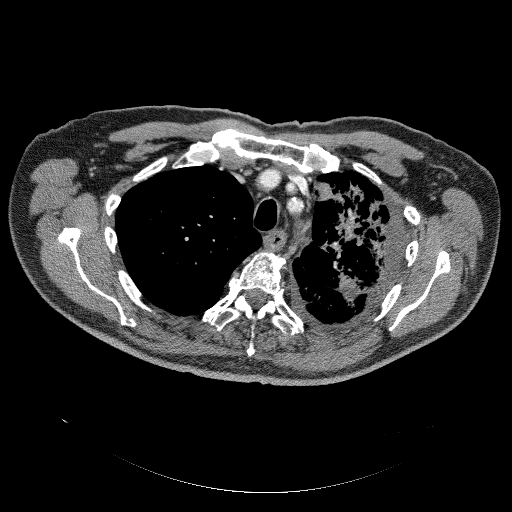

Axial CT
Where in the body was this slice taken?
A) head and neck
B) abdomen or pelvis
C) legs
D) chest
Answer: D) chest
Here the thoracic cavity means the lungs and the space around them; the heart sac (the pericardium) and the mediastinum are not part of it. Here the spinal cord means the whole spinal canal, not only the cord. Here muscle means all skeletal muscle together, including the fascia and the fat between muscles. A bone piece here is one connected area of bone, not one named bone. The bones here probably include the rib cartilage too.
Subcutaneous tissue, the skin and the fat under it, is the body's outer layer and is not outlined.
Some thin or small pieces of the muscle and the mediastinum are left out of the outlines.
bones 1: [[259,250],[273,252],[285,259],[286,269],[281,271],[284,297],[303,321],[304,332],[291,336],[284,334],[267,315],[256,325],[255,351],[249,357],[246,349],[250,327],[243,315],[219,331],[200,319],[205,310],[227,293],[233,271],[239,270],[243,261]] with a hole at [[252,289],[260,289],[264,293],[265,293],[267,295],[267,298],[266,299],[264,304],[263,305],[262,305],[258,309],[257,309],[255,311],[252,308],[252,307],[248,303],[248,302],[246,299],[246,294],[247,293],[247,291],[248,291],[249,290],[251,290]]
bones 2: [[228,128],[247,134],[281,139],[298,145],[316,143],[337,156],[342,169],[341,171],[327,173],[321,173],[317,170],[305,172],[293,164],[286,164],[264,157],[240,158],[231,151],[222,159],[210,163],[176,169],[169,168],[192,143],[209,141],[215,132]]
bones 3: [[64,227],[77,227],[80,229],[76,249],[80,265],[85,275],[94,286],[106,294],[114,297],[119,302],[125,315],[135,320],[137,324],[134,327],[120,324],[117,307],[110,300],[90,289],[81,278],[77,270],[72,251],[66,244],[59,242],[57,239]]
bones 4: [[441,249],[445,250],[449,254],[449,259],[450,260],[449,271],[446,273],[441,273],[438,275],[434,279],[426,297],[414,309],[408,312],[391,331],[389,331],[388,328],[395,320],[399,311],[403,307],[414,302],[423,293],[435,270],[437,255],[438,252]]
bones 5: [[119,268],[124,269],[127,272],[127,273],[130,276],[131,279],[133,281],[135,285],[141,292],[142,294],[142,299],[155,310],[155,312],[154,313],[141,308],[130,299],[128,295],[125,292],[124,289],[122,287],[118,279],[118,276],[117,275],[117,270]]
bones 6: [[163,155],[166,155],[168,157],[169,157],[167,161],[167,164],[166,165],[166,167],[165,169],[152,175],[147,179],[145,180],[143,180],[138,183],[136,183],[135,182],[133,182],[131,181],[133,176],[142,168],[143,168],[145,166],[149,164],[155,159]]
bones 7: [[400,281],[402,282],[402,288],[400,291],[400,293],[397,299],[393,305],[389,309],[389,310],[384,315],[384,316],[377,321],[374,322],[372,319],[374,316],[377,315],[379,313],[380,311],[380,304],[382,300],[386,294],[390,290],[390,289],[396,283]]
bones 8: [[352,160],[359,161],[365,164],[372,170],[373,170],[379,176],[379,177],[382,180],[383,182],[383,191],[376,185],[372,183],[372,182],[367,177],[361,174],[359,172],[352,169],[351,168],[352,166],[351,165],[351,161]]
bones 9: [[406,202],[408,202],[409,203],[412,204],[414,206],[415,206],[420,214],[420,218],[419,219],[419,222],[417,225],[413,225],[412,224],[411,224],[409,222],[408,222],[404,217],[404,215],[403,214],[403,209],[404,208],[404,206],[405,205]]
bones 10: [[106,225],[109,225],[114,229],[114,230],[115,231],[115,233],[116,234],[116,236],[117,237],[117,246],[116,247],[116,252],[115,253],[112,253],[111,252],[111,251],[109,249],[109,248],[108,247],[108,246],[105,241],[105,239],[104,238],[104,228]]
bones 11: [[110,192],[114,192],[115,193],[117,193],[118,194],[119,194],[121,196],[121,199],[120,200],[120,202],[119,203],[118,206],[116,208],[114,213],[112,215],[109,216],[107,214],[107,213],[106,212],[106,210],[105,209],[105,201],[106,200],[106,199]]
bones 12: [[414,238],[416,238],[418,241],[418,251],[417,252],[417,255],[416,256],[416,257],[415,258],[414,261],[412,263],[412,264],[410,266],[407,266],[407,261],[405,259],[405,251],[406,250],[406,247],[407,246],[408,243],[412,239],[413,239]]
muscle: [[215,118],[238,119],[269,133],[286,131],[319,133],[338,133],[356,130],[377,131],[399,139],[423,151],[425,153],[424,158],[408,161],[406,165],[408,172],[407,179],[405,183],[398,188],[401,192],[412,199],[424,214],[428,216],[441,213],[444,209],[441,202],[442,192],[449,187],[457,187],[472,196],[482,216],[483,237],[479,244],[475,271],[469,277],[465,291],[458,296],[453,308],[437,322],[411,332],[402,339],[395,339],[383,345],[365,359],[351,366],[336,371],[300,373],[289,368],[277,367],[257,361],[245,361],[234,357],[194,357],[177,354],[159,354],[132,343],[120,335],[104,316],[91,312],[74,303],[50,281],[41,266],[38,257],[38,249],[34,244],[36,239],[34,236],[34,223],[29,218],[28,212],[30,173],[39,163],[48,158],[72,158],[76,160],[79,167],[75,177],[75,180],[80,184],[78,192],[90,192],[98,199],[122,176],[130,172],[128,169],[124,168],[124,165],[127,163],[123,159],[125,150],[124,144],[121,142],[109,141],[108,136],[111,132],[149,121],[197,123]]; inner edges: [[228,128],[316,143],[342,168],[359,161],[402,216],[406,202],[416,207],[418,224],[404,217],[403,229],[417,255],[410,266],[401,260],[393,284],[402,288],[383,317],[372,319],[380,300],[350,330],[291,336],[267,315],[249,357],[243,315],[218,331],[200,315],[145,299],[153,313],[130,299],[117,275],[126,269],[121,252],[104,238],[105,226],[115,227],[109,193],[122,196],[155,159],[169,157],[167,170],[192,143]], then [[64,227],[77,227],[80,229],[76,249],[80,265],[85,275],[94,286],[106,294],[114,297],[119,302],[125,315],[135,320],[137,324],[134,327],[120,324],[117,307],[110,300],[90,289],[81,278],[77,270],[72,251],[66,244],[59,242],[57,239]], then [[441,249],[445,250],[449,254],[449,259],[450,260],[449,271],[446,273],[441,273],[438,275],[434,279],[426,297],[414,309],[408,312],[391,331],[389,331],[388,328],[395,320],[399,311],[403,307],[414,302],[423,293],[435,270],[437,255],[438,252]]
thoracic cavity 1: [[206,164],[228,172],[248,192],[252,202],[251,226],[259,234],[261,244],[242,261],[239,269],[232,271],[226,284],[226,293],[215,303],[200,315],[175,315],[144,299],[142,292],[126,270],[114,228],[115,212],[127,190],[152,176],[168,169],[176,170]]
thoracic cavity 2: [[342,168],[351,169],[367,178],[397,206],[403,216],[407,244],[393,285],[372,311],[350,330],[326,333],[305,327],[304,321],[290,307],[285,297],[282,271],[286,272],[288,268],[290,270],[293,261],[312,241],[314,205],[320,175],[341,172]]
spinal cord: [[252,289],[260,289],[264,293],[265,293],[267,295],[267,298],[266,299],[264,304],[263,305],[262,305],[258,309],[257,309],[255,311],[252,308],[252,307],[248,303],[248,302],[246,299],[246,294],[247,293],[247,291],[248,291],[249,290],[251,290]]
torso: [[167,104],[223,108],[267,123],[378,116],[427,132],[466,152],[493,176],[501,207],[496,255],[479,300],[457,326],[436,340],[367,374],[315,386],[200,377],[138,359],[84,331],[48,305],[16,257],[7,219],[15,170],[26,146],[41,132],[94,111]]
mediastinum: [[260,158],[293,165],[305,173],[313,171],[320,173],[315,189],[316,201],[313,205],[311,241],[286,271],[287,261],[283,256],[273,251],[259,249],[262,238],[252,226],[253,202],[249,192],[231,173],[211,164],[219,160],[241,163]]